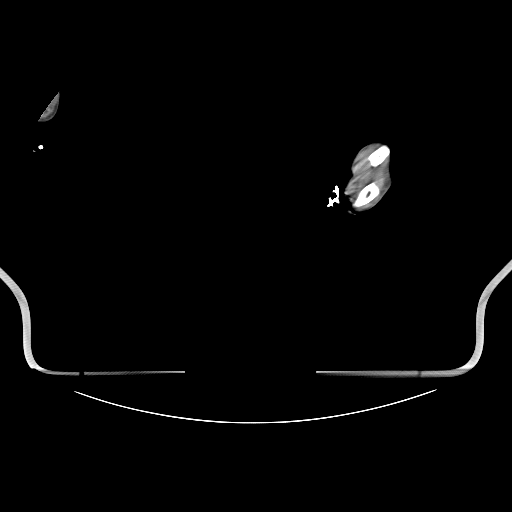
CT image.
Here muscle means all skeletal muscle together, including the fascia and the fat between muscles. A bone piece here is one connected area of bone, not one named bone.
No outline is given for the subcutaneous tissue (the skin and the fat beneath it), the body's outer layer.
{"bones":[[[373,181],[374,181],[379,186],[380,188],[380,191],[379,192],[379,194],[376,197],[375,197],[372,200],[371,200],[367,204],[363,206],[361,206],[358,208],[354,207],[353,206],[353,202],[357,197],[358,193],[366,185],[367,185],[369,183]],[[382,144],[387,144],[389,146],[389,147],[391,150],[391,152],[390,153],[390,155],[378,165],[377,165],[376,166],[372,166],[371,165],[370,165],[370,164],[369,163],[369,161],[368,160],[366,160],[366,158],[373,151],[374,151],[377,148],[378,148]]],"right_arm":[[[59,92],[60,94],[60,99],[59,100],[59,107],[58,108],[58,111],[56,115],[51,120],[47,122],[38,122],[38,120],[40,118],[40,117],[42,115],[42,114],[44,112],[44,111],[46,109],[46,108],[48,106],[50,102],[57,94],[57,93]]],"muscle":[[[376,143],[381,144],[373,150],[365,160],[368,161],[370,166],[376,167],[389,157],[389,177],[386,183],[386,188],[377,198],[374,199],[380,194],[381,188],[373,180],[366,184],[357,193],[354,200],[351,193],[354,181],[353,167],[360,154],[370,145]],[[52,100],[53,100],[53,102],[54,103],[54,106],[53,107],[53,110],[52,111],[52,112],[51,113],[50,113],[47,116],[42,116],[42,114],[44,112],[44,111],[46,109],[46,108],[48,106],[48,105],[50,103],[50,102]]],"left_arm":[[[374,140],[383,140],[389,146],[391,150],[390,153],[391,154],[390,169],[391,170],[391,174],[393,177],[393,183],[384,197],[375,206],[355,215],[347,214],[344,211],[344,206],[346,203],[345,200],[345,183],[349,177],[349,166],[350,163],[362,146]]]}